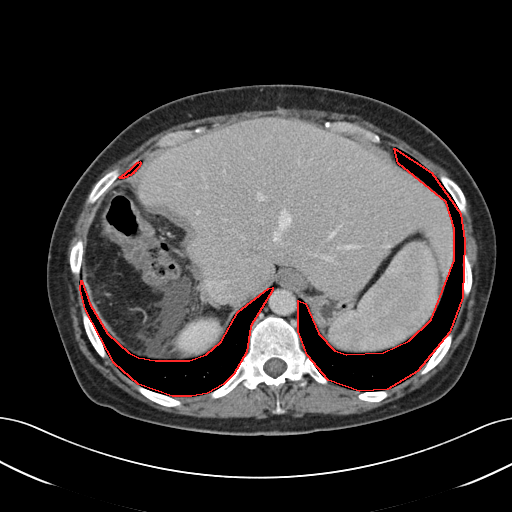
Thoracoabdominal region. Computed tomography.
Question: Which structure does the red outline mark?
Answer: red: thoracic cavity.
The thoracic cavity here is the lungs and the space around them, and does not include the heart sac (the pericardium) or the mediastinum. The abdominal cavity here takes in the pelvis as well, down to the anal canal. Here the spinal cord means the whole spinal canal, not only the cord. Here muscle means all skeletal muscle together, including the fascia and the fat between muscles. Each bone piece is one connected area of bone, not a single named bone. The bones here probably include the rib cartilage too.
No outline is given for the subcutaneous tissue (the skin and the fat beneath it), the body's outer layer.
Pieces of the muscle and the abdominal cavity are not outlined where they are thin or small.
Outlines:
thoracic cavity 1: [[394,148],[431,172],[460,213],[464,240],[462,297],[449,332],[417,371],[387,389],[359,391],[328,380],[307,355],[298,331],[298,300],[305,303],[318,333],[334,350],[346,354],[383,352],[409,340],[431,319],[454,260],[454,228],[446,202],[398,163]]
thoracic cavity 2: [[81,280],[89,303],[107,333],[128,352],[138,357],[155,360],[189,360],[206,354],[221,341],[238,311],[268,288],[272,287],[272,290],[250,326],[246,352],[233,374],[223,384],[207,393],[191,396],[172,396],[138,384],[114,363],[85,309],[80,289]]
thoracic cavity 3: [[139,161],[140,162],[140,164],[139,165],[139,166],[135,170],[135,171],[134,171],[133,172],[133,173],[132,173],[130,175],[128,175],[126,177],[124,177],[123,178],[120,178],[119,177],[123,174],[124,174],[128,170],[129,170],[137,162],[138,162]]
torso: [[274,83],[335,88],[389,103],[437,134],[471,174],[494,224],[496,267],[477,340],[462,375],[442,397],[404,414],[355,427],[294,435],[242,436],[182,430],[130,418],[96,404],[75,378],[47,295],[49,243],[66,197],[99,152],[153,108],[197,92]]
mediastinum: [[276,282],[281,282],[289,286],[289,287],[299,296],[299,298],[297,300],[297,327],[298,328],[297,330],[294,326],[287,320],[280,316],[277,316],[273,314],[269,314],[263,317],[260,320],[254,321],[265,305],[270,294],[273,290],[273,287],[271,286]]
muscle 1: [[87,196],[89,204],[101,199],[83,240],[79,238],[71,246],[68,263],[74,275],[80,274],[79,289],[84,307],[81,321],[97,354],[104,359],[109,357],[122,373],[137,384],[135,388],[139,393],[159,405],[179,407],[182,402],[175,397],[208,393],[212,399],[217,399],[240,383],[250,390],[264,383],[276,397],[272,411],[274,415],[259,419],[216,418],[160,410],[117,386],[86,358],[75,339],[70,315],[67,252]]
muscle 2: [[467,200],[478,248],[474,311],[467,333],[445,365],[416,389],[363,412],[342,415],[306,413],[301,417],[283,414],[286,411],[281,407],[279,390],[288,380],[299,382],[298,385],[304,387],[308,383],[304,375],[308,375],[322,385],[329,381],[358,391],[357,398],[362,401],[380,402],[389,396],[388,389],[418,371],[420,375],[426,374],[442,360],[452,343],[450,331],[462,298],[469,295],[473,282],[461,217],[467,211]]
muscle 3: [[278,107],[316,109],[359,116],[402,139],[441,166],[449,176],[440,174],[438,178],[406,152],[397,147],[392,148],[380,143],[381,137],[377,133],[352,121],[326,120],[318,122],[303,117],[261,115],[240,119],[209,129],[203,126],[196,126],[170,131],[162,135],[155,142],[159,147],[137,161],[124,173],[121,175],[120,169],[115,167],[106,172],[98,180],[108,167],[148,138],[171,126],[209,116],[251,110],[272,110]]
spinal cord: [[272,358],[278,358],[279,359],[282,360],[285,363],[285,364],[286,365],[286,368],[284,370],[284,371],[283,372],[282,372],[279,375],[278,375],[275,377],[274,377],[273,376],[268,374],[264,370],[264,365],[265,364],[265,363],[268,360],[269,360]]
abdominal cavity: [[261,116],[303,118],[391,148],[400,166],[442,198],[451,216],[453,260],[435,312],[417,333],[393,348],[346,353],[325,341],[300,296],[276,281],[238,310],[217,345],[198,357],[155,359],[128,351],[98,319],[81,277],[84,237],[102,196],[154,150]]
bones 1: [[269,315],[293,326],[302,349],[328,382],[319,383],[308,374],[303,375],[307,380],[304,386],[288,379],[278,390],[282,414],[273,413],[277,397],[264,382],[254,389],[240,382],[225,395],[212,398],[209,393],[234,374],[247,352],[252,324]]; inner edge: [[272,358],[278,358],[279,359],[282,360],[285,363],[285,364],[286,365],[286,368],[284,370],[284,371],[283,372],[282,372],[279,375],[278,375],[275,377],[274,377],[273,376],[268,374],[264,370],[264,365],[265,364],[265,363],[268,360],[269,360]]
bones 2: [[326,121],[330,121],[331,122],[334,121],[347,121],[348,122],[355,123],[359,126],[361,126],[377,134],[380,137],[380,141],[379,143],[376,143],[373,141],[364,138],[362,135],[358,133],[348,133],[347,132],[338,131],[328,128],[324,125],[324,123]]
bones 3: [[115,168],[118,168],[119,169],[120,171],[120,175],[113,182],[113,183],[108,188],[108,189],[93,203],[89,203],[87,202],[87,199],[88,198],[88,196],[91,190],[95,185],[95,184],[106,173],[107,173],[109,171]]
bones 4: [[440,175],[445,175],[451,178],[459,186],[459,187],[461,189],[466,199],[466,211],[465,213],[463,214],[460,212],[452,196],[449,193],[449,192],[446,189],[446,188],[443,185],[443,184],[439,179],[439,176]]
bones 5: [[450,332],[452,334],[452,339],[451,340],[450,346],[444,356],[433,368],[424,374],[420,374],[419,373],[419,370],[427,362],[427,361],[430,358],[430,357],[433,354],[433,353],[436,350],[436,349],[439,346],[445,337]]
bones 6: [[83,310],[85,310],[89,319],[91,321],[92,325],[94,327],[96,333],[98,335],[98,337],[100,339],[103,345],[103,347],[108,355],[108,357],[105,357],[104,358],[101,357],[95,350],[94,347],[89,340],[82,321],[82,311]]
bones 7: [[196,127],[203,127],[205,129],[200,133],[194,133],[191,137],[188,137],[185,139],[182,139],[170,145],[165,145],[164,146],[159,146],[156,144],[156,142],[162,136],[170,132],[173,132],[174,131],[177,131],[178,130],[184,130],[185,129],[193,129]]
bones 8: [[138,385],[144,388],[146,388],[151,391],[153,391],[157,393],[160,393],[164,395],[167,395],[168,396],[171,396],[172,397],[174,397],[178,399],[181,402],[181,404],[179,406],[165,406],[164,405],[159,404],[154,401],[152,401],[137,390],[136,388]]
bones 9: [[79,239],[81,239],[83,241],[83,253],[82,254],[82,259],[81,260],[80,273],[79,275],[76,275],[74,274],[71,271],[71,269],[70,268],[70,264],[69,263],[69,256],[70,255],[70,252],[71,251],[71,248],[72,246],[77,241],[77,240]]
bones 10: [[464,253],[466,254],[468,258],[468,260],[471,265],[471,269],[472,270],[472,282],[471,283],[471,288],[469,291],[468,295],[466,297],[464,297],[463,296],[463,277],[462,276],[462,272],[463,271],[463,267],[462,266],[462,263],[463,262],[463,255]]
bones 11: [[381,390],[386,390],[388,392],[388,396],[387,396],[385,398],[384,398],[383,399],[382,399],[380,401],[366,401],[365,400],[362,400],[361,399],[360,399],[359,398],[358,398],[358,394],[360,392],[365,392],[366,391],[380,391]]